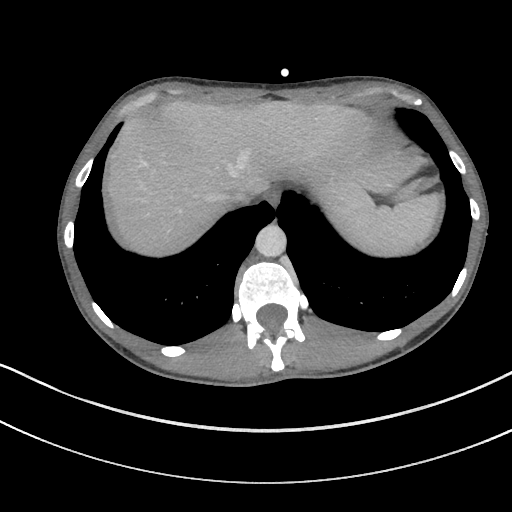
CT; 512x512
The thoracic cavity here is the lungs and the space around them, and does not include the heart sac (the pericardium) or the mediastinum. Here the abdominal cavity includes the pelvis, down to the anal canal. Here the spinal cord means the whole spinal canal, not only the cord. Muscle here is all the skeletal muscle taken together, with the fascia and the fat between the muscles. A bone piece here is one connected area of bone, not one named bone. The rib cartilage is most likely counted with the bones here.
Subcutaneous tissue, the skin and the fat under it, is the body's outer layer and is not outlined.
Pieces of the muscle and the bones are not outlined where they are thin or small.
The thoracic cavity appears in 2 outlined pieces: piece 1: (368, 331) (403, 326) (436, 305) (449, 293) (466, 255) (471, 218) (460, 174) (428, 118) (413, 108) (396, 108) (398, 126) (431, 154) (447, 196) (441, 230) (427, 248) (406, 258) (370, 258) (348, 246) (303, 197) (284, 193) (276, 211) (287, 235) (287, 253) (315, 313); piece 2: (161, 344) (189, 342) (225, 323) (230, 317) (239, 266) (255, 234) (272, 219) (274, 211) (263, 201) (230, 212) (195, 244) (175, 256) (153, 259) (122, 250) (106, 229) (100, 194) (105, 156) (119, 123) (96, 156) (81, 189) (73, 250) (93, 298) (105, 313) (121, 327). The bones appear in 8 outlined pieces: piece 1: (274, 371) (284, 367) (280, 353) (285, 342) (289, 338) (304, 340) (298, 309) (307, 310) (310, 307) (306, 296) (297, 288) (284, 266) (261, 261) (243, 271) (231, 310) (231, 319) (234, 322) (244, 319) (247, 345) (250, 349) (260, 338) (268, 346) (273, 356) (271, 368) with a hole at (270, 335) (276, 335) (279, 332) (281, 329) (282, 323) (286, 318) (286, 315) (287, 314) (286, 309) (283, 306) (278, 304) (274, 304) (273, 303) (271, 304) (267, 304) (261, 307) (258, 310) (256, 314) (256, 317) (258, 321) (265, 328) (266, 333) (268, 333); piece 2: (413, 107) (420, 106) (422, 104) (422, 100) (420, 98) (413, 98) (409, 94) (400, 93) (395, 89) (375, 86) (370, 87) (365, 91) (362, 91) (357, 94) (358, 95) (363, 94) (368, 95) (371, 93) (387, 92) (392, 96) (400, 99) (405, 103) (411, 105); piece 3: (119, 116) (122, 116) (127, 113) (129, 113) (135, 110) (138, 107) (140, 107) (141, 106) (143, 106) (153, 102) (158, 97) (159, 95) (158, 93) (154, 91) (152, 91) (144, 95) (142, 95) (134, 100) (130, 101) (128, 103) (125, 104) (121, 108) (118, 113) (118, 115); piece 4: (78, 188) (81, 188) (82, 187) (83, 184) (85, 182) (85, 181) (91, 170) (91, 168) (92, 167) (92, 164) (94, 161) (94, 157) (91, 157) (85, 163) (85, 164) (82, 167) (82, 168) (77, 174) (77, 175) (75, 178) (75, 182) (74, 183) (75, 184) (75, 186); piece 5: (69, 249) (72, 249) (72, 246) (73, 245) (73, 232) (74, 231) (74, 220) (73, 220) (72, 219) (70, 219) (67, 222) (67, 223) (65, 226) (65, 229) (64, 230) (64, 234) (63, 235) (63, 239) (64, 240) (64, 243) (65, 244) (66, 247) (67, 247); piece 6: (111, 328) (113, 328) (114, 327) (114, 326) (115, 325) (114, 324) (114, 323) (104, 313) (104, 312) (101, 309) (101, 308) (96, 303) (96, 302) (93, 299) (91, 301) (91, 305) (92, 306) (94, 311) (96, 313) (96, 314) (100, 318) (100, 319) (106, 325) (107, 325); piece 7: (461, 174) (464, 174) (465, 173) (465, 166) (464, 165) (464, 163) (463, 161) (458, 155) (458, 154) (455, 151) (454, 151) (452, 149) (448, 149) (448, 153) (450, 156) (450, 158) (451, 160) (453, 162) (454, 165) (456, 167) (458, 171); piece 8: (452, 297) (453, 297) (457, 293) (457, 292) (459, 290) (460, 287) (462, 285) (462, 284) (463, 283) (463, 281) (466, 276) (466, 273) (467, 272) (467, 269) (464, 265) (461, 269) (461, 270) (455, 281) (455, 283) (451, 290) (451, 291) (452, 292). The mediastinum is outlined by (234, 299) (242, 271) (261, 260) (284, 265) (299, 288) (296, 272) (286, 253) (286, 235) (278, 225) (275, 214) (281, 195) (286, 191) (299, 195) (297, 187) (285, 183) (276, 184) (251, 202) (256, 205) (266, 200) (273, 207) (275, 215) (258, 231) (240, 266) (235, 280). The spinal cord is outlined by (270, 335) (276, 335) (279, 332) (281, 329) (282, 323) (286, 318) (286, 315) (287, 314) (286, 309) (283, 306) (278, 304) (274, 304) (273, 303) (271, 304) (267, 304) (261, 307) (258, 310) (256, 314) (256, 317) (258, 321) (265, 328) (266, 333) (268, 333). The abdominal cavity is outlined by (385, 259) (427, 247) (446, 208) (438, 167) (397, 126) (395, 108) (407, 107) (398, 99) (380, 94) (321, 100) (175, 96) (132, 112) (108, 150) (101, 184) (104, 218) (111, 237) (126, 251) (153, 258) (180, 253) (226, 213) (285, 182) (297, 186) (348, 245). The torso is outlined by (224, 388) (294, 378) (341, 377) (375, 368) (423, 344) (461, 307) (486, 244) (489, 207) (471, 156) (437, 104) (423, 90) (378, 75) (341, 75) (292, 82) (169, 75) (130, 87) (100, 118) (70, 168) (58, 207) (56, 245) (72, 298) (92, 330) (134, 365) (166, 379). The muscle is outlined by (226, 380) (249, 379) (260, 376) (268, 376) (273, 374) (275, 372) (287, 372) (288, 371) (295, 371) (296, 372) (298, 371) (328, 371) (340, 368) (345, 368) (372, 360) (397, 347) (402, 346) (405, 344) (409, 340) (433, 324) (446, 313) (458, 300) (468, 282) (481, 243) (481, 238) (485, 223) (484, 205) (483, 204) (480, 188) (476, 179) (476, 176) (464, 152) (437, 111) (420, 94) (395, 84) (390, 84) (384, 82) (376, 82) (375, 81) (355, 81) (354, 82) (346, 82) (339, 84) (332, 84) (328, 86) (313, 86) (312, 87) (279, 89) (278, 90) (270, 90) (269, 89) (262, 89) (261, 88) (205, 86) (204, 85) (192, 84) (187, 82) (172, 81) (171, 82) (163, 82) (151, 85) (143, 89) (138, 90) (127, 96) (111, 111) (101, 124) (93, 138) (85, 149) (74, 170) (67, 188) (64, 204) (63, 205) (63, 211) (62, 212) (62, 221) (61, 222) (61, 227) (62, 228) (61, 229) (62, 249) (64, 252) (70, 276) (78, 294) (79, 299) (93, 321) (104, 332) (116, 342) (127, 348) (142, 359) (160, 368) (172, 372) (186, 374) (187, 375) (216, 378) (217, 379) (225, 379); inner edges: (274, 371) (285, 342) (305, 338) (299, 308) (388, 340) (462, 285) (479, 208) (463, 190) (463, 161) (413, 108) (420, 98) (380, 86) (321, 100) (155, 102) (152, 91) (121, 108) (130, 114) (77, 174) (63, 239) (100, 319) (178, 356) (243, 318) (248, 347) (261, 338), then (172, 94) (178, 94) (179, 93) (180, 93) (181, 92) (179, 90) (172, 90) (171, 89) (169, 89) (168, 90) (168, 92) (169, 92) (170, 93) (171, 93).